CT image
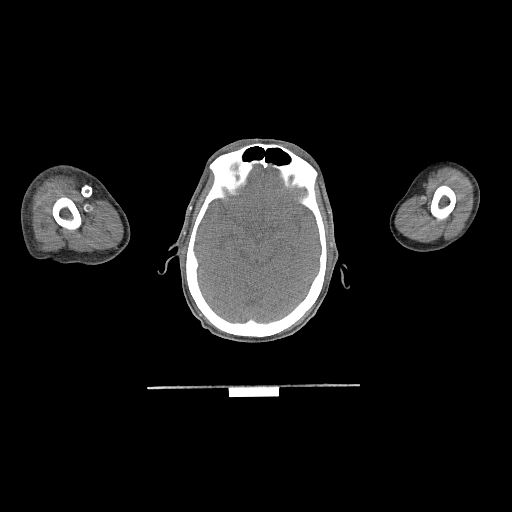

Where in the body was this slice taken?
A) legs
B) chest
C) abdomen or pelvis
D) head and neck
Answer: D) head and neck
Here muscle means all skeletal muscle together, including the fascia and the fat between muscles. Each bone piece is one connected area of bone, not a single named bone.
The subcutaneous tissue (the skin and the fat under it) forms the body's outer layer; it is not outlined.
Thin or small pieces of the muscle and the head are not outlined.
Outlines (x, y in pixels):
right arm: [[56,164],[70,164],[79,167],[97,177],[103,183],[125,212],[130,226],[130,238],[125,248],[111,260],[95,265],[87,265],[82,263],[60,263],[50,259],[36,259],[28,253],[23,240],[21,223],[20,222],[20,208],[22,198],[32,179],[42,170]]
bones 1: [[252,143],[279,144],[291,150],[315,168],[318,175],[314,189],[326,238],[325,274],[317,299],[290,326],[278,333],[261,337],[234,335],[216,328],[197,307],[188,289],[185,272],[186,253],[190,235],[196,217],[213,182],[214,177],[209,165],[221,154]]; inner edges: [[254,166],[277,170],[287,188],[305,189],[305,194],[298,198],[298,202],[311,212],[315,221],[320,246],[318,268],[305,296],[285,315],[269,321],[252,318],[231,321],[211,307],[201,290],[195,242],[210,203],[224,199],[226,194],[235,195],[247,183]], then [[268,149],[278,149],[279,150],[280,150],[282,152],[283,152],[285,154],[286,154],[289,157],[289,161],[286,163],[282,163],[281,164],[278,164],[277,163],[275,163],[272,161],[267,161],[266,160],[266,156],[267,155],[267,150]], then [[256,147],[261,148],[263,150],[263,154],[262,155],[262,156],[260,158],[255,158],[254,159],[251,159],[250,160],[244,160],[244,159],[243,158],[243,157],[244,156],[244,154],[245,154],[246,153],[246,152],[248,150],[249,150],[252,148],[255,148]]
bones 2: [[62,196],[66,196],[70,199],[71,199],[75,204],[80,214],[80,217],[81,218],[81,224],[80,226],[76,229],[74,229],[73,230],[69,230],[66,228],[62,227],[57,223],[57,222],[55,220],[52,214],[52,207],[53,206],[53,204],[58,198]]
bones 3: [[440,185],[447,185],[449,186],[454,191],[455,193],[455,196],[456,197],[456,200],[455,201],[455,205],[452,211],[449,214],[449,215],[444,219],[438,220],[431,214],[430,208],[431,207],[431,201],[433,197],[433,194],[435,190]]
left arm: [[438,160],[455,161],[465,166],[474,175],[478,182],[480,190],[479,207],[476,216],[466,233],[450,245],[439,250],[428,251],[427,252],[420,252],[410,250],[398,243],[393,237],[389,228],[389,216],[395,204],[406,192],[411,182],[419,171],[426,165]]
muscle 1: [[59,174],[74,176],[78,179],[83,178],[91,182],[96,186],[100,197],[106,199],[114,207],[123,225],[123,236],[116,248],[95,250],[92,252],[78,252],[65,248],[56,252],[45,252],[37,249],[31,224],[30,205],[32,198],[38,185],[49,176]] with a hole at [[62,196],[66,196],[70,199],[71,199],[75,204],[80,214],[80,217],[81,218],[81,224],[80,226],[76,229],[74,229],[73,230],[69,230],[66,228],[62,227],[57,223],[57,222],[55,220],[52,214],[52,207],[53,206],[53,204],[58,198]]
muscle 2: [[443,166],[451,166],[460,170],[468,177],[473,186],[473,206],[465,226],[459,234],[448,240],[440,238],[433,242],[423,243],[409,239],[402,235],[395,227],[394,220],[397,211],[399,207],[408,198],[420,192],[422,183],[427,179],[431,171],[436,170]], around a hole outlined by [[440,185],[447,185],[449,186],[454,191],[455,193],[455,196],[456,197],[456,200],[455,201],[455,205],[452,211],[449,214],[449,215],[444,219],[438,220],[431,214],[430,208],[431,207],[431,201],[433,197],[433,194],[435,190]]
muscle 3: [[318,176],[320,180],[319,187],[321,192],[321,196],[323,199],[323,203],[325,207],[327,220],[329,225],[330,241],[332,249],[331,265],[325,282],[325,285],[322,290],[327,267],[327,238],[326,237],[326,230],[323,218],[318,205],[315,189],[315,185]]
muscle 4: [[209,169],[212,173],[213,177],[212,178],[212,182],[195,217],[189,235],[189,239],[185,253],[184,271],[184,266],[182,259],[182,248],[184,240],[188,232],[188,227],[190,224],[190,219],[193,212],[196,200],[198,198],[206,182],[208,177],[208,170]]
muscle 5: [[311,308],[310,311],[303,318],[303,319],[300,322],[299,322],[296,325],[295,325],[290,329],[288,329],[287,330],[285,330],[286,329],[287,329],[289,327],[290,327],[293,324],[294,324],[298,320],[299,320],[306,313],[306,312],[307,311],[308,311]]
head: [[243,138],[272,138],[288,141],[304,149],[318,162],[331,205],[338,252],[328,291],[315,314],[293,334],[264,342],[226,339],[204,328],[185,300],[178,258],[176,256],[170,258],[177,249],[175,247],[169,249],[180,233],[186,208],[206,160],[220,147]]; inner edges: [[268,149],[278,149],[279,150],[280,150],[282,152],[283,152],[285,154],[286,154],[289,157],[289,161],[286,163],[282,163],[281,164],[278,164],[277,163],[275,163],[272,161],[267,161],[266,160],[266,156],[267,155],[267,150]], then [[256,147],[261,148],[263,150],[263,154],[262,155],[262,156],[260,158],[255,158],[254,159],[251,159],[250,160],[244,160],[244,159],[243,158],[243,157],[244,156],[244,154],[245,154],[246,153],[246,152],[248,150],[249,150],[252,148],[255,148]]
brain: [[254,166],[277,170],[287,188],[305,189],[305,194],[298,198],[298,202],[311,212],[315,221],[320,246],[318,268],[305,296],[285,315],[269,321],[252,318],[231,321],[211,307],[201,290],[195,242],[210,203],[224,199],[226,194],[235,195],[247,183]]